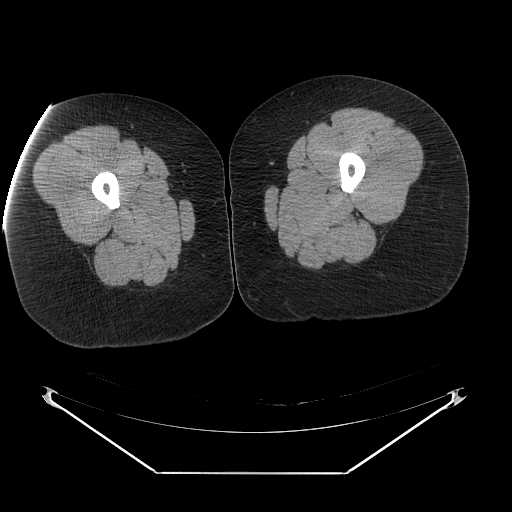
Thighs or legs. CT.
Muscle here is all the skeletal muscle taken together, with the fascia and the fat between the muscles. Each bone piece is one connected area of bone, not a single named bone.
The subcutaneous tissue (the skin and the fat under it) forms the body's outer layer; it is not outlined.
The right leg is outlined by 97,92 143,96 177,109 208,136 221,155 225,197 230,202 227,213 231,217 230,251 234,293 227,309 217,319 187,338 125,348 73,347 54,339 36,324 19,301 2,227 15,168 27,140 50,105 74,96. The bones appear in 2 outlined pieces: piece 1: 345,151 353,151 359,155 363,159 365,163 365,167 366,168 365,173 362,180 354,190 354,192 353,193 348,193 343,191 340,186 340,175 339,174 339,165 338,164 338,162 339,161 340,154 342,152 344,152; piece 2: 103,170 108,170 115,174 119,183 119,189 120,190 119,201 120,202 120,205 118,208 116,208 112,210 108,209 108,208 103,203 99,201 94,196 91,191 91,188 90,187 91,182 93,178 100,171 102,171. The left leg is outlined by 329,74 376,78 413,92 443,117 460,146 469,183 468,250 461,275 454,287 444,299 428,309 360,321 312,318 304,322 282,323 259,317 248,309 240,297 231,251 228,159 232,141 244,119 266,99 300,81. The muscle appears in 2 outlined pieces: piece 1: 99,123 115,126 138,143 151,148 185,186 187,198 193,207 195,229 185,255 185,271 168,288 151,292 123,292 105,286 89,268 77,246 64,234 54,210 39,199 34,190 31,164 39,151 53,139 71,130, around a hole outlined by 103,170 108,170 115,174 119,183 119,189 120,190 119,201 120,202 120,205 118,208 116,208 112,210 108,209 108,208 103,203 99,201 94,196 91,191 91,188 90,187 91,182 93,178 100,171 102,171; piece 2: 348,106 364,106 380,111 408,128 417,137 423,149 423,169 409,188 403,212 386,234 381,246 367,260 339,272 306,271 290,263 280,248 276,236 269,229 263,209 264,193 278,175 293,142 306,133 320,117 with a hole at 345,151 353,151 359,155 363,159 365,163 365,167 366,168 365,173 362,180 354,190 354,192 353,193 348,193 343,191 340,186 340,175 339,174 339,165 338,164 338,162 339,161 340,154 342,152 344,152.